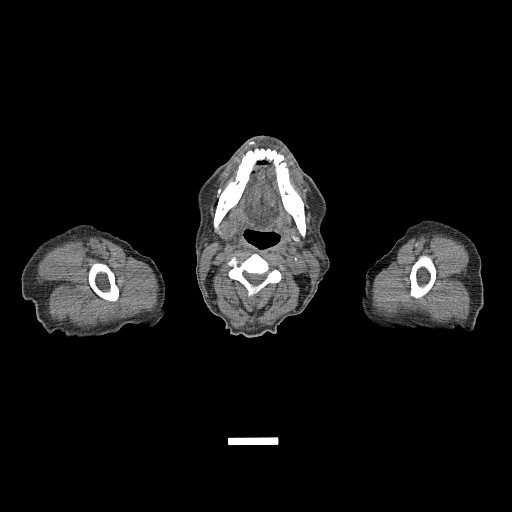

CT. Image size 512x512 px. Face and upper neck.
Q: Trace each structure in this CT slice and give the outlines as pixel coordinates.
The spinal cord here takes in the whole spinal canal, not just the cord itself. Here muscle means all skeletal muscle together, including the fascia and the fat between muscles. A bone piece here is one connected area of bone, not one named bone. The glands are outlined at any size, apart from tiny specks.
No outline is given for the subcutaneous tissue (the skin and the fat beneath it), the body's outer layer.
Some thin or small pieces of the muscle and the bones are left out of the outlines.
A: {"left_arm":[[[424,219],[437,220],[461,230],[474,242],[480,255],[481,276],[483,282],[483,307],[477,316],[474,329],[471,332],[466,332],[460,327],[454,329],[433,329],[427,327],[379,327],[368,321],[362,311],[360,300],[364,292],[367,269],[392,247],[409,226]]],"parotid_glands":[[[317,242],[318,242],[318,243],[320,245],[320,246],[321,247],[321,250],[323,253],[323,256],[324,257],[324,258],[323,259],[322,259],[320,257],[319,257],[317,255],[316,255],[316,254],[314,252],[314,250],[313,249],[313,246],[314,245],[314,244]]],"spinal_cord":[[[244,272],[246,272],[247,273],[248,273],[249,274],[266,274],[266,275],[265,276],[265,278],[260,283],[259,283],[258,284],[256,284],[255,285],[254,285],[253,284],[252,284],[244,276]]],"bones":[[[255,148],[268,148],[283,155],[290,182],[304,205],[306,228],[304,237],[301,236],[293,217],[284,208],[275,167],[267,160],[258,161],[254,165],[239,200],[223,217],[217,231],[214,230],[213,218],[219,197],[218,190],[222,190],[234,179],[244,154]],{"outer":[[253,253],[259,254],[270,264],[274,264],[276,267],[281,265],[282,268],[279,269],[281,279],[278,282],[268,283],[250,297],[248,296],[247,289],[238,280],[232,279],[228,276],[228,272],[231,268],[228,264],[228,261],[234,256],[239,262],[241,262]],"hole":[[244,272],[246,272],[247,273],[248,273],[249,274],[266,274],[266,275],[265,276],[265,278],[260,283],[259,283],[258,284],[256,284],[255,285],[254,285],[253,284],[252,284],[244,276]]},[[420,255],[427,255],[431,258],[431,259],[433,261],[433,263],[436,269],[436,277],[431,288],[423,296],[419,298],[415,298],[414,297],[412,297],[410,295],[410,279],[409,278],[409,275],[410,274],[410,272],[411,271],[411,269],[412,268],[413,264]],[[95,262],[100,262],[101,263],[104,263],[106,264],[113,272],[115,276],[115,282],[119,290],[119,296],[116,301],[109,301],[100,297],[92,289],[92,288],[90,286],[89,284],[89,281],[88,280],[88,273],[89,272],[89,269],[91,265]]],"submandibular_glands":[[[225,220],[230,220],[231,221],[232,221],[235,226],[235,230],[234,231],[233,234],[230,236],[230,240],[229,241],[225,241],[224,240],[223,240],[221,238],[220,238],[219,237],[219,233],[218,232],[219,227],[220,226],[222,221],[224,221]],[[286,228],[288,228],[289,229],[294,229],[295,230],[296,230],[296,234],[295,235],[292,235],[289,238],[289,239],[288,240],[286,238],[286,237],[285,236],[285,229]]],"muscle":[{"outer":[[259,142],[274,144],[281,148],[309,187],[309,194],[312,198],[310,201],[311,213],[314,217],[313,235],[317,241],[313,244],[312,249],[315,255],[323,260],[324,263],[314,283],[304,292],[295,309],[280,316],[271,325],[265,325],[254,329],[235,328],[213,302],[209,286],[201,277],[199,262],[202,249],[200,242],[202,236],[206,233],[209,205],[213,194],[212,190],[216,187],[220,175],[242,150],[247,146],[254,146]],"holes":[[[255,148],[268,148],[283,155],[290,182],[304,205],[304,237],[293,217],[284,208],[275,167],[267,160],[258,161],[254,165],[239,200],[221,220],[230,220],[235,226],[230,240],[223,240],[214,230],[218,190],[222,190],[234,179],[244,154]],[[253,253],[259,254],[270,264],[274,264],[276,267],[281,265],[282,268],[279,269],[281,279],[278,282],[268,283],[250,297],[248,296],[247,289],[238,280],[232,279],[228,276],[228,272],[231,268],[228,264],[228,261],[234,256],[239,262],[241,262]],[[246,230],[251,230],[252,231],[255,231],[256,232],[274,232],[279,236],[279,239],[276,243],[274,243],[270,245],[268,247],[265,247],[264,248],[260,248],[250,243],[250,242],[248,241],[247,239],[246,239],[244,235],[244,233]],[[286,228],[288,228],[289,229],[294,229],[295,230],[296,230],[296,234],[295,235],[292,235],[289,238],[289,239],[288,240],[286,238],[286,237],[285,236],[285,229]]]},{"outer":[[91,236],[100,236],[117,244],[128,256],[140,260],[150,266],[159,284],[158,304],[154,311],[87,328],[76,326],[67,320],[57,321],[50,317],[48,297],[45,294],[46,291],[36,283],[38,263],[44,254],[56,245],[69,240]],"hole":[[95,262],[100,262],[101,263],[104,263],[106,264],[113,272],[115,276],[115,282],[119,290],[119,296],[116,301],[109,301],[100,297],[92,289],[92,288],[90,286],[89,284],[89,281],[88,280],[88,273],[89,272],[89,269],[91,265]]},{"outer":[[422,233],[442,233],[461,241],[465,245],[469,255],[468,277],[465,280],[465,284],[470,297],[470,309],[465,320],[452,319],[446,322],[439,322],[419,312],[385,317],[373,311],[371,288],[375,276],[396,259],[397,252],[404,243],[413,236],[418,236]],"hole":[[420,255],[427,255],[431,258],[431,259],[433,261],[433,263],[436,269],[436,277],[431,288],[423,296],[419,298],[415,298],[414,297],[412,297],[410,295],[410,279],[409,278],[409,275],[410,274],[410,272],[411,271],[411,269],[412,268],[413,264]]}],"right_arm":[[[82,223],[89,223],[101,230],[110,232],[155,262],[166,287],[166,311],[157,324],[145,327],[141,324],[129,323],[115,333],[93,337],[66,336],[57,330],[48,333],[42,327],[37,320],[34,304],[30,300],[25,300],[21,294],[23,268],[42,242]]],"head_and_neck":[{"outer":[[260,135],[281,140],[323,195],[327,210],[320,232],[326,244],[330,265],[302,312],[286,317],[275,333],[265,332],[259,336],[247,337],[231,334],[225,328],[224,321],[208,309],[200,292],[195,273],[194,247],[200,220],[197,194],[211,174],[244,142]],"hole":[[246,230],[251,230],[252,231],[255,231],[256,232],[274,232],[279,236],[279,239],[276,243],[274,243],[270,245],[268,247],[265,247],[264,248],[260,248],[250,243],[250,242],[248,241],[247,239],[246,239],[244,235],[244,233]]}]}